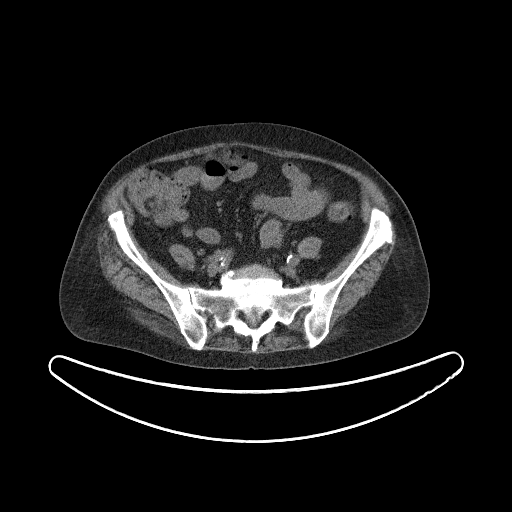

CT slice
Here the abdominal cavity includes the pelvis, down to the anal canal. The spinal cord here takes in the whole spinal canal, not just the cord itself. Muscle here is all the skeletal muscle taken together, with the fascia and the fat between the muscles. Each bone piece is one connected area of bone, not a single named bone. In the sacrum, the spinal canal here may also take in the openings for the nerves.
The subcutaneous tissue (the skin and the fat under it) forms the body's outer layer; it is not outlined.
{"torso":[[[247,121],[288,124],[332,138],[360,154],[395,188],[412,215],[429,273],[429,303],[419,327],[402,340],[351,357],[317,365],[271,370],[189,367],[122,348],[87,342],[74,336],[60,315],[60,278],[83,213],[108,170],[134,148],[163,134],[198,125]]],"muscle":[[[232,140],[308,153],[353,167],[369,176],[389,203],[396,220],[393,251],[375,284],[354,310],[348,328],[328,341],[321,343],[330,332],[333,310],[343,287],[372,254],[383,245],[393,243],[393,226],[389,216],[373,206],[367,229],[353,257],[343,270],[325,282],[305,283],[323,278],[326,274],[360,241],[360,238],[365,226],[360,182],[321,161],[275,155],[245,145],[226,145],[186,157],[151,163],[134,172],[127,181],[123,187],[123,197],[134,216],[132,229],[137,241],[151,258],[176,279],[193,285],[181,286],[169,282],[153,269],[135,245],[121,208],[108,215],[107,224],[121,250],[161,292],[180,333],[191,349],[157,334],[135,320],[102,274],[95,226],[99,204],[108,189],[122,175],[149,159]],[[303,311],[302,329],[308,348],[271,353],[248,354],[203,349],[209,335],[208,323],[213,325],[213,330],[215,332],[220,332],[229,326],[235,334],[249,337],[251,341],[250,349],[253,353],[255,353],[261,338],[271,332],[277,323],[289,326],[296,316]],[[173,244],[182,244],[186,246],[191,250],[191,251],[193,253],[193,255],[195,257],[194,258],[195,259],[195,268],[193,270],[191,270],[190,269],[184,269],[182,268],[174,260],[174,259],[172,257],[169,251],[169,248],[170,246]],[[308,236],[315,236],[316,237],[319,238],[321,240],[321,246],[320,247],[319,252],[316,255],[315,255],[313,257],[312,257],[311,258],[304,258],[302,256],[301,256],[298,254],[298,251],[297,250],[297,246],[300,241],[301,241],[304,238],[305,238]]],"bones":[{"outer":[[373,207],[390,219],[392,243],[348,278],[327,335],[308,347],[303,310],[289,325],[277,322],[255,352],[249,336],[211,322],[203,348],[192,349],[107,221],[121,209],[134,245],[169,283],[218,289],[221,274],[256,263],[295,287],[344,270]],"hole":[[247,320],[249,320],[250,321],[252,321],[253,322],[254,322],[255,321],[258,321],[259,322],[259,323],[258,324],[258,325],[256,327],[250,327],[249,326],[249,325],[248,324],[248,323],[247,322]]}],"abdominal_cavity":[{"outer":[[226,146],[245,146],[275,156],[317,161],[355,178],[360,184],[364,223],[359,241],[323,277],[295,286],[284,286],[277,272],[256,262],[221,273],[218,288],[187,284],[176,278],[138,241],[133,229],[135,216],[124,197],[124,187],[134,173],[151,164]],"hole":[[173,244],[182,244],[186,246],[191,250],[191,251],[193,253],[193,255],[195,257],[194,258],[195,259],[195,268],[193,270],[191,270],[190,269],[184,269],[182,268],[174,260],[174,259],[172,257],[169,251],[169,248],[170,246]]}],"spinal_cord":[[[247,320],[249,320],[250,321],[252,321],[253,322],[254,322],[255,321],[258,321],[259,322],[259,323],[258,324],[258,325],[256,327],[250,327],[249,326],[249,325],[248,324],[248,323],[247,322]],[[266,312],[267,312],[268,313],[268,314],[268,315],[268,316],[267,317],[266,317],[265,317],[264,316],[264,315],[264,314],[265,313]],[[241,314],[242,314],[243,314],[244,315],[244,316],[244,317],[244,318],[243,319],[242,319],[241,318],[240,317],[240,316],[240,315]]]}